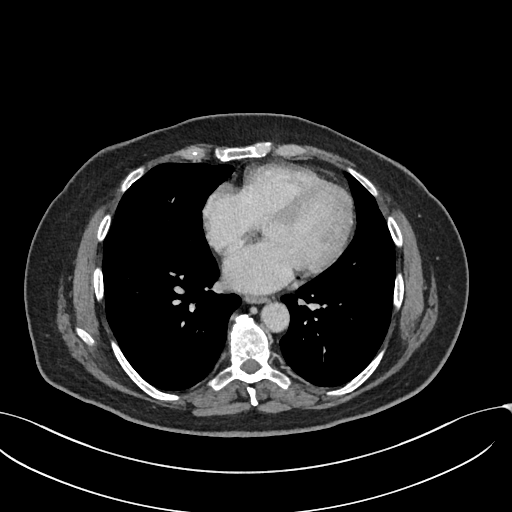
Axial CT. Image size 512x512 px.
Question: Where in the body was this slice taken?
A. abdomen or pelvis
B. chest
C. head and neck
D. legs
Answer: B. chest
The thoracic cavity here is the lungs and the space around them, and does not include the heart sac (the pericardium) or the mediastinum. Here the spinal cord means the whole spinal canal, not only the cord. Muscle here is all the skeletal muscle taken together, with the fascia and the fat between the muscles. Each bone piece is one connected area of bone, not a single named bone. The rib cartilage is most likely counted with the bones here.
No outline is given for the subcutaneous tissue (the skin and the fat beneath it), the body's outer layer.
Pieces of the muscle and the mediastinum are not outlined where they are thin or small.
{"bones":[{"outer":[[236,310],[238,313],[249,314],[269,336],[271,353],[268,364],[279,369],[291,380],[287,389],[283,389],[266,378],[253,383],[258,401],[255,406],[250,401],[247,391],[248,384],[242,380],[234,379],[219,390],[214,390],[207,384],[229,364],[229,317]],"hole":[[248,359],[252,359],[253,360],[254,360],[255,361],[256,361],[259,364],[259,368],[258,369],[257,369],[254,372],[252,372],[251,373],[249,373],[248,372],[246,372],[244,370],[243,370],[241,368],[241,366],[242,365],[242,364],[246,360],[247,360]]},[[260,141],[270,141],[272,142],[274,148],[278,145],[282,144],[297,144],[307,149],[307,152],[303,155],[285,157],[274,154],[272,151],[263,157],[246,157],[223,162],[215,158],[213,155],[213,149],[216,146],[221,148],[231,146],[240,147],[250,145]],[[111,339],[113,339],[117,343],[126,359],[143,379],[161,391],[177,394],[179,396],[179,398],[176,400],[166,401],[165,400],[161,400],[160,399],[154,398],[143,391],[129,377],[118,362],[113,353],[112,348],[110,345],[110,340]],[[383,347],[385,347],[386,349],[379,364],[374,371],[369,376],[369,377],[363,383],[362,383],[358,387],[352,391],[342,395],[328,395],[326,394],[326,392],[327,391],[341,387],[355,377],[368,365],[368,364],[375,357],[377,353]],[[397,272],[401,272],[402,273],[402,275],[403,276],[403,279],[404,280],[404,291],[403,292],[403,299],[402,300],[402,302],[401,303],[401,305],[399,309],[396,309],[393,306],[393,292],[394,291],[394,282],[395,281],[395,277],[396,276],[396,274]],[[96,266],[100,266],[100,267],[101,268],[101,271],[102,272],[102,274],[103,275],[103,298],[100,301],[97,301],[97,300],[96,299],[96,297],[95,296],[95,292],[94,291],[94,288],[93,287],[93,284],[92,283],[92,274],[93,273],[93,270]],[[347,166],[350,166],[354,169],[357,170],[362,174],[363,174],[374,185],[374,186],[376,188],[376,189],[378,192],[378,194],[375,197],[372,194],[371,194],[368,191],[368,190],[367,189],[366,189],[351,174],[350,174],[347,171],[346,171],[345,168]],[[388,215],[392,215],[393,216],[393,217],[397,222],[400,228],[400,230],[402,234],[402,239],[403,240],[402,245],[400,247],[397,247],[395,245],[392,239],[391,234],[389,231],[389,229],[387,225],[387,220],[386,218]],[[189,147],[199,147],[200,148],[202,148],[205,152],[205,155],[204,156],[204,157],[200,161],[197,161],[196,162],[193,162],[192,161],[190,161],[189,160],[185,160],[184,159],[183,159],[179,155],[178,155],[178,153],[181,150],[184,150]],[[141,165],[142,166],[144,166],[145,168],[145,172],[143,174],[143,175],[141,177],[137,179],[123,193],[122,193],[122,192],[120,190],[120,187],[121,186],[121,184],[123,180],[126,177],[126,176],[129,172],[130,172],[136,167],[138,166],[140,166]],[[106,213],[109,213],[111,215],[111,216],[112,217],[111,218],[111,221],[110,222],[110,225],[109,226],[109,228],[107,231],[107,233],[106,234],[103,241],[99,241],[97,239],[97,230],[98,229],[98,226],[99,225],[99,223],[100,222],[101,219]],[[76,327],[79,327],[80,328],[82,328],[84,330],[85,330],[89,334],[90,334],[91,335],[91,336],[94,339],[94,340],[95,341],[94,344],[91,346],[90,346],[89,345],[86,344],[84,342],[84,341],[77,334],[77,333],[75,330],[75,328]]],"spinal_cord":[[[248,359],[252,359],[253,360],[254,360],[255,361],[256,361],[259,364],[259,368],[258,369],[257,369],[254,372],[252,372],[251,373],[249,373],[248,372],[246,372],[244,370],[243,370],[241,368],[241,366],[242,365],[242,364],[246,360],[247,360]]],"torso":[[[235,112],[287,114],[324,124],[399,162],[447,210],[467,258],[467,306],[446,361],[419,392],[379,412],[322,429],[270,436],[220,437],[167,431],[132,422],[54,387],[41,375],[28,331],[23,284],[32,238],[51,201],[86,162],[120,142],[189,118]]],"muscle":[{"outer":[[298,144],[315,145],[348,158],[390,194],[411,223],[421,256],[433,268],[438,298],[437,319],[424,341],[400,369],[370,389],[327,408],[291,408],[266,413],[253,407],[234,414],[202,417],[124,393],[106,385],[88,372],[71,355],[57,327],[59,281],[76,256],[82,232],[90,216],[125,176],[119,187],[122,195],[113,215],[106,212],[97,226],[96,239],[102,242],[102,257],[101,264],[92,270],[91,283],[96,301],[104,300],[104,314],[115,338],[109,340],[112,353],[123,371],[143,392],[154,399],[170,402],[180,398],[176,393],[195,390],[205,384],[214,391],[219,391],[230,382],[239,380],[247,384],[250,404],[255,407],[259,401],[253,384],[264,379],[283,390],[288,389],[292,380],[331,388],[325,392],[326,395],[342,396],[358,388],[370,377],[387,349],[385,346],[380,348],[391,322],[393,307],[399,310],[404,299],[404,276],[401,271],[396,271],[396,247],[403,245],[403,234],[392,214],[384,216],[376,200],[379,192],[363,173],[350,165],[344,169],[316,156],[299,157],[305,155],[308,149]],"hole":[[76,327],[79,327],[80,328],[82,328],[84,330],[85,330],[89,334],[90,334],[91,335],[91,336],[94,339],[94,340],[95,341],[94,344],[91,346],[90,346],[89,345],[86,344],[84,342],[84,341],[77,334],[77,333],[75,330],[75,328]]},[[196,143],[211,143],[216,145],[228,146],[221,147],[216,145],[212,149],[213,157],[203,159],[206,155],[206,152],[202,147],[189,146],[184,149],[181,149],[177,153],[177,155],[184,161],[162,162],[153,166],[147,171],[144,165],[138,165],[160,155]]],"pericardium":[[[253,158],[291,158],[294,160],[305,160],[341,174],[348,183],[353,199],[356,226],[352,239],[338,259],[317,276],[294,289],[265,295],[244,296],[226,281],[221,271],[220,265],[206,238],[203,226],[203,208],[212,192],[222,183],[230,179],[237,163]]],"mediastinum":[[[221,272],[225,281],[244,297],[265,296],[296,289],[293,292],[284,293],[280,297],[288,309],[289,324],[285,333],[279,339],[275,347],[272,346],[272,340],[265,330],[249,313],[241,308],[242,301],[240,296],[235,292],[225,291],[226,284],[222,279]],[[291,157],[298,157],[299,158],[311,158],[312,157],[316,157],[319,159],[325,160],[328,162],[335,164],[338,167],[345,170],[345,171],[347,172],[345,174],[346,179],[341,173],[335,170],[333,170],[310,160],[306,160],[305,159],[294,159]]],"thoracic_cavity":[[[169,162],[203,162],[233,168],[230,176],[208,196],[202,208],[202,226],[225,284],[224,291],[237,294],[240,308],[245,311],[236,309],[228,317],[228,364],[206,383],[184,392],[157,388],[125,356],[105,314],[101,267],[103,242],[123,194],[150,169]],[[347,173],[375,198],[386,220],[395,246],[396,273],[391,318],[379,350],[355,376],[343,385],[332,388],[297,382],[279,368],[271,366],[269,359],[272,347],[278,345],[290,324],[290,312],[281,297],[295,292],[300,286],[331,267],[354,237],[357,220]]]}